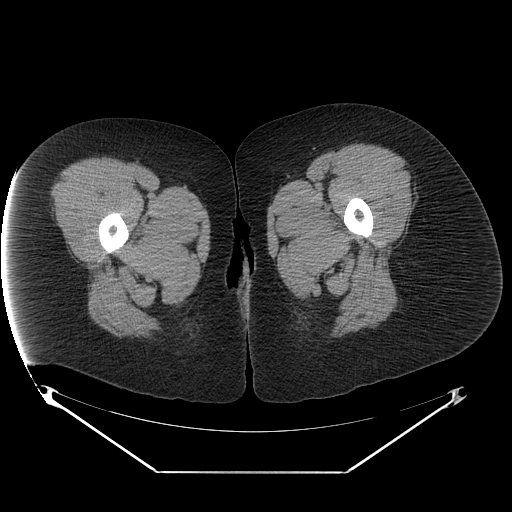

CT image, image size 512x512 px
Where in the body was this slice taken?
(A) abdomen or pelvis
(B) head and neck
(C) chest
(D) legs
Answer: (D) legs
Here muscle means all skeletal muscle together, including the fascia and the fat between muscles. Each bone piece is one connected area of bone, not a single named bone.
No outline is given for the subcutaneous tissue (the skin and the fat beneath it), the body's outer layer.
Outlines:
right leg: [[108,116],[156,119],[191,128],[213,140],[234,165],[238,207],[227,281],[234,285],[239,274],[243,285],[250,362],[248,357],[246,360],[245,391],[233,402],[157,399],[59,365],[26,365],[19,353],[0,279],[0,232],[16,171],[28,154],[56,131]]
left leg: [[333,102],[389,108],[416,121],[445,145],[474,186],[493,228],[502,264],[501,300],[483,334],[449,359],[345,395],[268,403],[256,397],[252,385],[247,300],[240,271],[241,239],[249,267],[253,255],[247,241],[249,228],[239,208],[234,156],[259,125]]
muscle 1: [[354,142],[377,144],[394,151],[408,162],[417,178],[419,197],[410,216],[407,233],[389,260],[391,277],[402,299],[399,308],[401,311],[378,329],[317,347],[298,329],[299,302],[282,282],[268,254],[267,208],[279,187],[297,177],[315,157],[339,145]]; inner edge: [[353,197],[360,197],[362,199],[363,199],[368,204],[371,210],[372,215],[373,216],[373,228],[372,229],[372,232],[370,236],[366,238],[361,235],[355,234],[351,232],[344,224],[344,222],[343,221],[343,214],[344,213],[345,207],[349,200]]
muscle 2: [[96,155],[123,156],[138,161],[161,177],[185,184],[204,204],[208,212],[210,247],[204,267],[202,286],[187,312],[186,318],[164,341],[118,338],[92,322],[86,312],[86,289],[82,269],[71,258],[62,232],[50,216],[48,191],[59,171],[74,161]]; inner edge: [[110,212],[118,212],[121,215],[122,218],[124,220],[128,228],[128,230],[129,231],[129,236],[127,240],[121,247],[120,247],[118,249],[111,253],[107,253],[102,247],[99,241],[99,237],[98,236],[98,225],[101,219],[104,216],[105,216]]
bones 1: [[110,212],[118,212],[121,215],[122,218],[124,220],[128,228],[128,230],[129,231],[129,236],[127,240],[121,247],[120,247],[118,249],[111,253],[107,253],[102,247],[99,241],[99,237],[98,236],[98,225],[101,219],[104,216],[105,216]]
bones 2: [[353,197],[360,197],[362,199],[363,199],[368,204],[371,210],[372,215],[373,216],[373,228],[372,229],[372,232],[370,236],[366,238],[361,235],[355,234],[351,232],[344,224],[344,222],[343,221],[343,214],[344,213],[345,207],[349,200]]